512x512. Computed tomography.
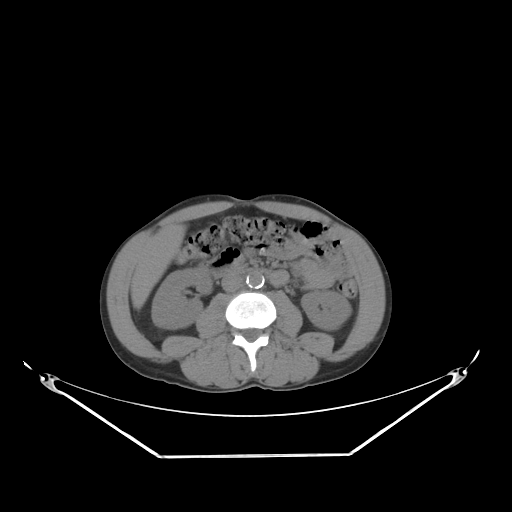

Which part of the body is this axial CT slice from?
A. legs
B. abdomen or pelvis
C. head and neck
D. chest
B. abdomen or pelvis
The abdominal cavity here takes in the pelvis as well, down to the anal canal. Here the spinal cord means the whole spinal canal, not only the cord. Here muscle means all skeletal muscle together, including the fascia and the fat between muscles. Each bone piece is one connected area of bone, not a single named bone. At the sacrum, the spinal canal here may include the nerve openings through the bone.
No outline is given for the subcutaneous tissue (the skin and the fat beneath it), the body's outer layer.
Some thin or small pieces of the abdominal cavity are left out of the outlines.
The muscle is outlined by 213,201 227,201 238,205 260,201 303,205 321,212 359,235 372,251 381,270 385,286 384,314 374,339 343,361 323,363 320,370 311,379 300,383 287,382 281,386 266,385 254,378 230,388 222,388 215,385 202,386 187,380 179,368 172,363 158,364 150,362 129,351 119,341 113,331 106,302 108,278 117,255 133,237 151,228 168,215 188,206 with a hole at 251,206 318,220 339,236 358,291 344,341 335,347 329,333 299,333 302,312 275,290 269,296 276,318 253,372 231,342 227,293 216,293 197,315 197,336 168,335 157,347 136,325 129,297 148,242 173,222. The bones are outlined by 242,291 262,292 273,301 276,308 276,318 266,329 269,335 268,343 261,346 257,350 255,354 256,367 253,372 250,369 250,363 246,352 240,346 232,344 231,341 234,329 225,318 225,309 228,302 233,296, around a hole outlined by 248,328 256,328 257,329 259,329 260,330 261,330 262,331 262,333 259,336 258,336 253,341 248,341 241,334 241,333 240,332 240,331 241,330 243,330 244,329 247,329. The torso is outlined by 210,192 238,198 270,192 298,195 325,207 369,239 390,278 392,312 383,341 362,367 343,378 299,390 275,392 250,387 238,392 206,393 143,377 115,355 105,337 99,314 100,283 110,257 127,236 173,204. The spinal cord is outlined by 248,328 256,328 257,329 259,329 260,330 261,330 262,331 262,333 259,336 258,336 253,341 248,341 241,334 241,333 240,332 240,331 241,330 243,330 244,329 247,329. The abdominal cavity is outlined by 251,206 285,218 318,220 339,236 358,291 355,317 344,341 335,347 329,333 299,333 302,312 282,290 269,296 242,290 211,298 195,318 197,336 168,335 157,347 136,325 129,297 148,242 173,222.